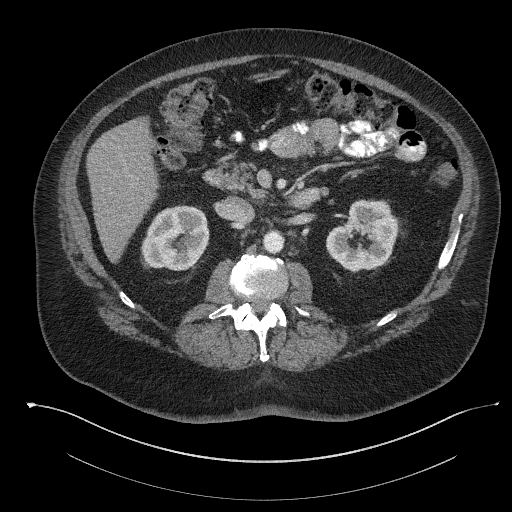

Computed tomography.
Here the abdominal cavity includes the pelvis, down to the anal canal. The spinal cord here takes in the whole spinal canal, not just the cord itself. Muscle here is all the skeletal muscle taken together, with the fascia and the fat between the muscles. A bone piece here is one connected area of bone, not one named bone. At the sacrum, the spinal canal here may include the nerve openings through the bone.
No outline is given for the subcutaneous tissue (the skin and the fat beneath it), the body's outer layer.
bones 1: 263,362 269,358 265,343 268,329 277,324 287,324 278,299 286,291 288,282 280,258 244,254 232,267 228,282 242,302 237,307 231,303 222,305 208,317 214,319 230,315 236,329 253,330 258,337 259,358 with a hole at 259,316 262,315 267,311 267,310 269,307 269,304 271,301 270,300 269,300 266,298 264,298 263,297 254,297 252,299 252,300 250,302 250,303 252,305 252,307 253,308 253,309 254,310 255,313 256,313
bones 2: 436,271 443,269 449,263 451,259 451,257 453,254 453,252 457,242 458,235 459,234 459,226 461,223 462,217 463,216 463,214 462,213 459,213 457,217 457,225 446,241 446,243 440,254 440,256 436,265
bones 3: 375,327 379,327 380,326 381,326 382,325 383,325 384,324 389,322 391,320 392,320 396,316 396,315 398,313 399,308 394,308 393,309 392,309 389,312 388,312 385,315 384,315 376,323 376,325 375,326
bones 4: 131,308 135,308 135,304 128,297 128,296 121,289 120,289 119,290 119,291 118,292 118,293 119,294 119,296 120,297 120,298 121,299 121,300 127,306 128,306 129,307 130,307
bones 5: 307,317 308,316 309,316 309,315 310,314 308,311 307,311 306,310 304,310 303,309 302,309 301,308 300,308 298,306 297,306 296,305 295,305 294,306 294,309 299,314 300,314 303,316 306,316
abdominal cavity: 172,329 204,300 215,265 225,258 235,262 244,253 302,263 312,280 312,303 350,327 405,305 435,267 461,191 461,170 450,139 401,98 290,58 260,58 164,82 116,108 82,152 80,201 104,268 136,304
torso: 183,423 265,415 352,421 424,396 462,369 485,323 501,192 495,161 479,126 428,73 386,49 339,33 235,28 181,40 131,61 96,85 63,121 42,160 32,201 36,309 43,340 56,364 74,380 134,409
spinal cord: 259,316 262,315 267,311 267,310 269,307 269,304 271,301 270,300 269,300 266,298 264,298 263,297 254,297 252,299 252,300 250,302 250,303 252,305 252,307 253,308 253,309 254,310 255,313 256,313
muscle: 292,372 311,371 379,348 409,333 429,318 448,293 474,233 480,199 477,168 460,134 438,112 378,76 341,62 288,53 246,54 190,65 153,78 103,106 72,140 60,167 57,209 62,248 109,329 220,371 244,369 259,360 258,341 253,331 236,330 230,316 214,320 207,317 222,304 231,302 237,306 241,302 227,283 234,261 225,259 216,265 206,287 205,300 188,310 173,330 139,306 136,305 135,309 127,307 118,296 119,285 103,268 93,250 89,225 76,186 81,152 96,126 137,93 164,81 260,57 277,56 304,59 401,97 432,118 451,139 459,157 463,187 453,210 449,235 456,225 458,213 462,212 464,216 450,263 441,271 436,272 435,268 422,291 401,307 389,323 375,328 378,320 374,320 350,328 311,303 312,284 306,268 298,262 287,261 289,286 279,301 286,311 288,324 269,329 266,343 270,355 268,361, around a hole outlined by 307,317 308,316 309,316 309,315 310,314 308,311 307,311 306,310 304,310 303,309 302,309 301,308 300,308 298,306 297,306 296,305 295,305 294,306 294,309 299,314 300,314 303,316 306,316